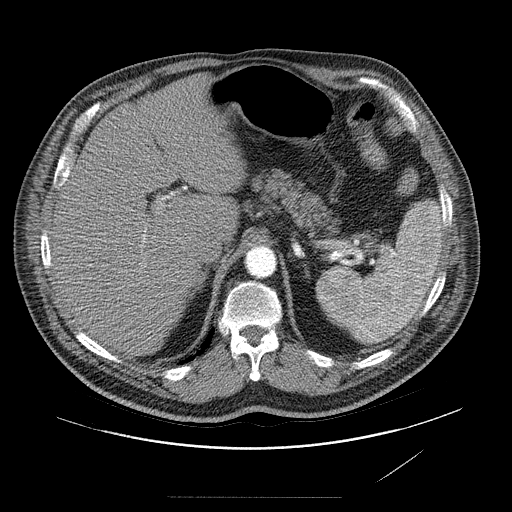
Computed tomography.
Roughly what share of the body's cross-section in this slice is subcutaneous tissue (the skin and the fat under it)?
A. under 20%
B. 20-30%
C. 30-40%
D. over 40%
A. under 20%
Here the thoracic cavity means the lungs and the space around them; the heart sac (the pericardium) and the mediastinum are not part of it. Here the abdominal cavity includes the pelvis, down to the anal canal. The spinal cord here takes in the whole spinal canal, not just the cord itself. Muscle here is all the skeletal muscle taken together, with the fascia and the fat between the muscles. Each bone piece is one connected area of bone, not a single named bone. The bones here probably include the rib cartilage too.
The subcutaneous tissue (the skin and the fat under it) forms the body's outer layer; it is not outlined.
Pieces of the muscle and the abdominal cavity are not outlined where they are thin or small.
{"mediastinum":[[[257,243],[263,243],[268,246],[275,253],[279,262],[289,330],[284,323],[283,307],[276,291],[271,286],[252,278],[239,281],[228,290],[216,321],[216,329],[214,336],[215,330],[212,327],[211,328],[211,322],[215,317],[226,274],[234,261],[245,253],[249,246]]],"bones":[{"outer":[[248,280],[271,287],[277,294],[283,313],[275,329],[279,346],[261,356],[258,366],[260,378],[257,381],[249,377],[250,357],[246,353],[241,353],[237,359],[234,359],[229,346],[231,335],[229,333],[222,335],[217,327],[223,302],[229,290],[239,282]],"hole":[[248,325],[257,325],[258,326],[259,326],[260,327],[261,327],[262,328],[263,328],[265,330],[265,333],[259,339],[259,342],[257,344],[251,344],[248,341],[248,340],[247,339],[247,338],[245,336],[244,336],[241,334],[241,330],[244,327],[245,327]]},[[98,101],[100,102],[100,109],[96,112],[86,128],[77,135],[76,139],[72,142],[71,146],[74,151],[71,156],[74,159],[73,163],[67,179],[59,189],[56,189],[52,185],[54,172],[62,150],[70,139],[70,132],[75,120],[86,109],[95,105]],[[360,76],[377,78],[393,88],[400,95],[405,103],[411,109],[415,118],[419,123],[419,126],[417,128],[417,132],[415,134],[408,130],[404,121],[396,111],[394,106],[389,101],[388,98],[384,96],[379,89],[374,89],[368,85],[362,84],[356,80]],[[79,330],[83,332],[87,336],[88,336],[91,339],[95,341],[110,353],[115,355],[121,360],[121,362],[116,362],[115,361],[110,360],[107,358],[105,358],[102,356],[100,356],[94,353],[92,351],[89,350],[75,337],[74,333],[75,332],[77,332]],[[441,271],[444,271],[446,273],[445,282],[444,283],[443,288],[438,298],[429,309],[429,310],[425,314],[425,315],[422,317],[419,317],[419,313],[422,310],[426,302],[426,300],[431,291],[431,289],[434,284],[434,282],[438,276],[439,272]],[[389,347],[390,347],[393,350],[393,353],[392,353],[387,358],[384,359],[382,361],[374,365],[367,366],[361,369],[354,370],[350,368],[350,365],[352,362],[354,361],[359,361],[375,352],[377,352],[380,350],[382,350],[385,348],[388,348]],[[441,184],[442,184],[444,186],[446,191],[449,194],[451,198],[451,201],[452,202],[452,220],[451,221],[451,226],[449,227],[448,226],[443,226],[443,222],[442,221],[442,209],[441,208],[441,203],[440,202],[440,197],[439,196],[439,185]],[[184,364],[186,364],[187,365],[191,365],[193,367],[186,374],[186,375],[181,379],[179,379],[178,380],[171,380],[161,375],[161,373],[163,371],[167,369],[169,369],[170,368],[173,368],[174,367],[177,367],[178,366],[180,366]],[[43,229],[45,229],[47,232],[48,242],[49,243],[49,253],[50,254],[50,261],[51,262],[51,266],[48,268],[45,268],[44,267],[43,263],[42,262],[42,258],[41,257],[41,249],[40,248],[40,242],[41,241],[41,239],[40,237],[41,236]],[[307,349],[310,349],[322,355],[324,355],[328,357],[331,357],[334,361],[334,364],[332,366],[330,366],[329,367],[324,367],[323,366],[319,366],[315,364],[313,362],[313,361],[311,360],[304,352],[304,351]]],"spinal_cord":[[[248,325],[257,325],[258,326],[259,326],[260,327],[261,327],[262,328],[263,328],[265,330],[265,333],[259,339],[259,342],[257,344],[251,344],[248,341],[248,340],[247,339],[247,338],[245,336],[244,336],[241,334],[241,330],[244,327],[245,327]]],"muscle":[[[253,56],[332,69],[371,69],[389,77],[419,105],[457,176],[457,202],[465,222],[466,290],[457,314],[445,328],[405,360],[362,383],[308,396],[258,381],[262,356],[280,346],[276,329],[282,319],[315,365],[329,368],[334,359],[362,358],[349,365],[356,371],[393,354],[391,346],[400,335],[416,316],[425,316],[439,298],[447,276],[444,270],[439,271],[444,227],[452,226],[453,202],[442,183],[438,188],[422,155],[416,135],[420,123],[414,112],[393,87],[377,77],[360,75],[355,80],[369,87],[340,89],[290,65],[265,59],[159,76],[104,110],[89,125],[101,109],[98,100],[74,120],[57,159],[51,185],[58,192],[49,227],[47,231],[43,228],[39,237],[41,262],[45,269],[51,269],[59,300],[77,327],[74,337],[110,361],[170,367],[160,375],[178,381],[194,367],[186,363],[210,348],[217,328],[222,336],[229,334],[231,357],[249,357],[252,382],[227,397],[187,403],[97,370],[57,340],[32,279],[32,267],[26,264],[26,198],[38,162],[59,124],[95,91],[178,61]],[[88,126],[87,129],[83,134],[83,137],[81,141],[80,141],[78,144],[79,145],[78,146],[78,149],[76,151],[75,156],[73,157],[72,155],[75,151],[72,146],[73,144],[73,142],[77,139],[77,136],[81,134],[87,128]]],"thoracic_cavity":[[[212,328],[214,330],[214,333],[213,334],[213,338],[211,341],[211,345],[209,348],[200,355],[196,356],[192,360],[183,364],[181,364],[182,362],[183,362],[187,358],[191,356],[195,353],[196,351],[200,349],[202,346],[202,344],[204,342],[204,340]]],"abdominal_cavity":[[[248,60],[387,98],[419,140],[437,184],[443,227],[437,276],[397,341],[363,358],[337,359],[291,335],[280,262],[257,242],[227,270],[199,349],[173,367],[122,359],[78,329],[58,295],[48,230],[59,190],[84,134],[104,111],[159,77]]],"torso":[[[254,48],[367,55],[395,66],[411,81],[449,138],[471,184],[480,234],[477,289],[460,327],[427,365],[352,411],[325,419],[265,412],[220,422],[157,419],[88,387],[56,357],[38,332],[13,264],[18,191],[46,130],[68,100],[88,83],[157,57]]]}